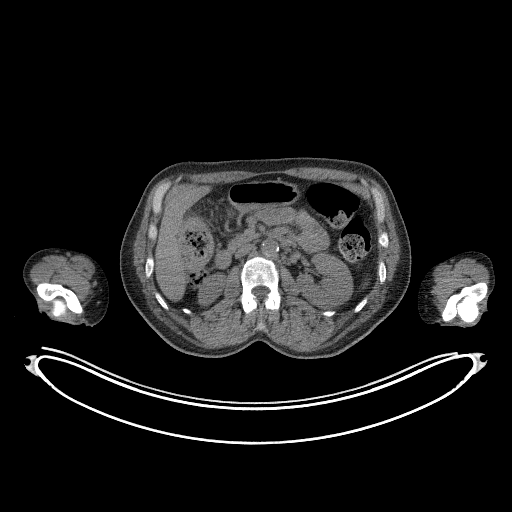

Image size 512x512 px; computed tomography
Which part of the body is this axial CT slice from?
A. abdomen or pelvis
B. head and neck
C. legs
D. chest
A. abdomen or pelvis
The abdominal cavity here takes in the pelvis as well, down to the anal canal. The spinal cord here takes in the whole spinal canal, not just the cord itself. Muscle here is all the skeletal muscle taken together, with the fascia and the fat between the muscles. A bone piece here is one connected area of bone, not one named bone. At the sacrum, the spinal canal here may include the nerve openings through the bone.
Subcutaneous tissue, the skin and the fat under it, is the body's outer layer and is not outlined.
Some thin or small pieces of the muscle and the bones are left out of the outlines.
right arm: 50,247 67,248 84,252 91,256 104,271 109,286 109,301 107,310 103,318 95,325 93,326 84,324 73,325 65,322 55,321 49,319 45,314 39,312 36,301 23,280 22,269 25,261 31,254 40,249
bones 1: 255,256 262,256 271,260 275,264 279,276 278,291 281,296 281,300 278,309 266,309 263,308 260,310 258,308 256,308 248,313 246,313 242,308 241,303 239,300 239,297 242,292 240,271 243,264 248,259; inner edge: 257,286 264,286 265,287 266,287 267,288 268,288 268,289 269,290 269,291 267,293 267,294 266,295 266,296 261,300 260,300 259,299 258,299 253,294 253,293 252,292 252,289 253,288 254,288
bones 2: 480,281 485,282 488,286 488,289 486,296 478,303 478,307 480,313 479,316 475,320 471,322 465,322 463,321 458,315 450,321 444,321 441,317 441,312 444,308 448,298 452,294 458,292 463,287 471,285
bones 3: 41,282 58,283 70,289 74,292 77,296 81,305 83,307 83,312 81,314 77,314 69,309 67,309 62,315 58,317 53,316 51,314 52,303 50,301 46,301 44,300 41,298 37,293 36,286
bones 4: 167,181 170,181 171,182 171,185 170,187 165,192 165,193 163,195 163,197 161,201 161,209 160,210 160,212 158,214 154,214 152,211 152,200 153,199 153,196 154,195 155,190 160,184 164,182 166,182
bones 5: 371,187 375,187 380,192 382,196 382,199 383,200 383,204 384,205 384,212 385,213 385,216 382,222 379,222 377,219 377,212 376,211 376,207 375,206 375,203 374,202 374,198 371,193
bones 6: 379,260 382,260 383,261 383,262 384,263 384,264 385,265 385,267 386,268 386,278 385,279 385,281 383,283 380,283 380,282 379,281 379,277 378,276 378,261
bones 7: 150,255 151,255 153,257 153,271 152,272 152,273 151,274 151,275 148,278 147,278 145,276 145,273 144,272 144,271 145,270 145,262 146,261 146,259 147,258 147,257 148,256 149,256
bones 8: 383,231 385,231 387,233 387,236 388,237 388,246 387,247 383,247 379,243 379,242 378,241 378,237 379,236 379,234 381,232 382,232
bones 9: 156,291 157,291 161,295 161,296 163,298 163,299 166,302 166,303 168,305 168,309 167,310 166,309 163,308 162,307 162,306 158,302 158,301 156,299 156,298 155,297 155,295 154,294 154,293
bones 10: 365,296 366,296 367,297 367,301 366,302 366,303 365,304 365,305 358,312 354,312 354,308 356,306 356,305
muscle 1: 299,167 330,168 331,169 344,170 355,173 360,173 367,175 375,179 383,188 387,196 392,217 395,223 395,230 398,237 400,250 399,251 399,260 396,265 396,268 392,280 389,284 389,287 386,293 385,301 382,306 374,313 370,318 363,322 356,328 349,331 337,341 328,346 313,351 296,351 295,350 292,351 286,349 281,345 279,345 273,341 265,333 259,331 250,336 245,341 235,345 230,345 221,348 214,348 213,349 204,348 201,346 196,345 185,339 182,336 172,330 162,321 158,319 147,305 145,296 142,291 141,283 136,274 136,270 133,264 133,247 134,246 134,241 141,223 141,220 144,213 144,208 146,204 148,195 153,186 161,179 167,176 173,174 177,174 181,172 187,172 188,173 206,173 207,172 233,171 234,170 241,170 242,171 249,171 250,172 261,172 262,171 271,171 272,170 284,170 285,169 298,168; inner edges: 272,174 330,182 369,203 377,232 388,237 387,247 378,244 377,257 385,265 385,281 376,277 358,312 352,308 324,316 281,266 279,308 246,313 239,300 241,270 235,265 227,272 222,298 208,309 188,314 170,305 163,308 154,294 153,275 147,278 144,272 155,242 148,237 149,226 162,214 161,209 158,214 152,211 158,186 180,180 228,183, then 371,187 375,187 380,192 382,196 382,199 383,200 383,204 384,205 384,212 385,213 385,216 382,222 379,222 377,219 377,212 376,211 376,207 375,206 375,203 374,202 374,198 371,193
muscle 2: 52,254 67,257 79,255 89,260 95,267 93,278 97,283 94,295 82,318 59,317 67,310 77,315 84,312 84,307 75,292 61,283 41,281 35,286 37,295 51,303 51,315 39,302 29,272 35,263
muscle 3: 465,257 473,258 487,268 489,273 489,283 488,285 485,281 480,280 465,285 458,291 452,293 447,298 440,312 440,319 440,315 432,302 432,295 430,293 434,284 432,274 437,267 443,264 453,265 457,261
torso: 301,156 360,161 375,168 387,181 404,220 411,247 410,280 396,308 360,341 329,357 294,358 278,352 262,341 218,358 194,356 170,346 135,309 126,295 119,270 119,252 124,232 150,179 163,168 184,160
spinal cord: 257,286 264,286 265,287 266,287 267,288 268,288 268,289 269,290 269,291 267,293 267,294 266,295 266,296 261,300 260,300 259,299 258,299 253,294 253,293 252,292 252,289 253,288 254,288
abdominal cavity: 272,174 330,182 371,205 378,233 377,276 371,289 351,309 322,311 305,300 286,267 278,270 271,259 255,255 240,269 235,265 227,272 222,298 208,309 181,310 169,305 152,274 166,192 180,180 217,184
left arm: 468,250 475,250 482,252 487,255 492,261 495,274 495,285 488,298 487,302 488,310 483,314 477,324 466,328 459,326 441,326 437,323 429,324 424,322 419,315 417,307 418,290 424,275 434,264 460,252